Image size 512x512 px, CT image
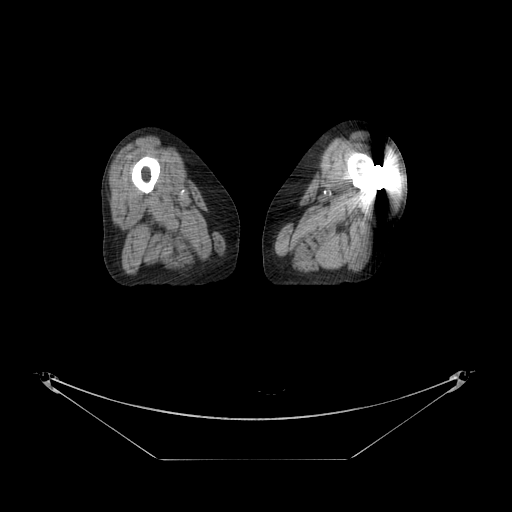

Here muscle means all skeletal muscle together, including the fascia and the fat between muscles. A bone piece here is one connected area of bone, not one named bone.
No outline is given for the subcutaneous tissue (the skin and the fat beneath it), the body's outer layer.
The right leg is outlined by 149,125 165,128 186,142 211,169 227,190 236,206 240,220 238,259 233,273 222,281 185,287 170,287 167,285 124,287 112,279 105,267 102,255 103,230 100,199 100,186 104,168 112,150 124,136 137,128. The muscle appears in 2 outlined pieces: piece 1: 353,130 363,130 380,138 388,144 399,159 402,170 402,187 397,210 374,236 370,257 361,271 357,273 334,274 300,273 284,264 275,254 274,243 276,236 304,193 315,169 314,166 318,156 326,143 334,137; inner edge: 353,151 364,152 372,156 375,162 375,169 376,170 376,177 377,178 376,186 374,189 359,189 358,188 356,188 353,186 351,181 348,178 347,176 347,173 346,172 346,169 345,168 346,167 346,162 349,154; piece 2: 149,134 156,134 169,141 180,153 189,172 199,187 211,219 225,241 226,247 224,255 208,266 186,273 171,270 156,270 133,277 124,275 121,269 116,232 111,220 106,186 108,171 115,155 123,146 135,138 with a hole at 145,155 149,155 150,156 156,157 158,159 158,161 160,165 160,171 159,172 158,179 154,185 154,187 152,191 149,193 143,193 139,191 132,183 131,181 131,175 130,174 130,168 131,166 141,157. The bones appear in 2 outlined pieces: piece 1: 353,151 364,152 372,156 375,162 375,169 376,170 376,177 377,178 376,186 374,189 359,189 358,188 356,188 353,186 351,181 348,178 347,176 347,173 346,172 346,169 345,168 346,167 346,162 349,154; piece 2: 145,155 149,155 150,156 156,157 158,159 158,161 160,165 160,171 159,172 158,179 154,185 154,187 152,191 149,193 143,193 139,191 132,183 131,181 131,175 130,174 130,168 131,166 141,157. The left leg is outlined by 348,119 362,119 368,121 385,132 397,145 405,163 408,179 406,206 402,217 391,231 383,260 377,271 369,279 360,283 343,283 335,286 273,285 264,275 261,251 262,232 270,202 310,145 325,130 341,121.